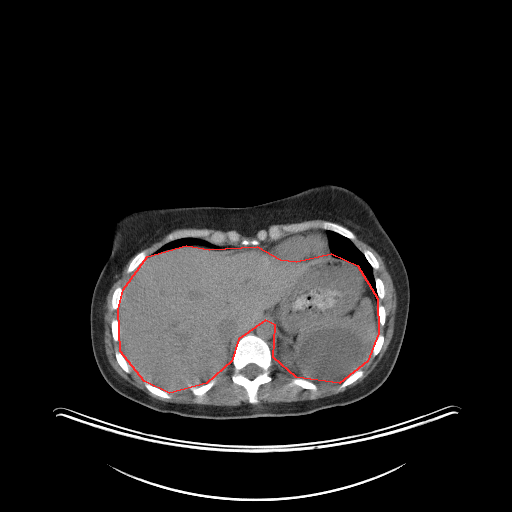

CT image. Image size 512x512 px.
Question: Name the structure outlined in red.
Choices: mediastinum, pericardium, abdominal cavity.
Answer: red: abdominal cavity.
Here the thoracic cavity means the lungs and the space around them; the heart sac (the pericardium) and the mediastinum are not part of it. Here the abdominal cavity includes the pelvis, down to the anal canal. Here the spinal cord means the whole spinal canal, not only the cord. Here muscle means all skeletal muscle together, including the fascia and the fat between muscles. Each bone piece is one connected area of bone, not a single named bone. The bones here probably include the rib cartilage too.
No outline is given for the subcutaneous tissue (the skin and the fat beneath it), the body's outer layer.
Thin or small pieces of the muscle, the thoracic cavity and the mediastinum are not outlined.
{"abdominal_cavity":[[[186,245],[209,249],[257,246],[280,259],[296,261],[331,253],[357,265],[377,298],[378,333],[367,361],[339,383],[296,377],[273,357],[275,325],[265,320],[238,339],[231,361],[206,383],[169,393],[144,381],[120,351],[118,309],[123,289],[147,256]]],"spinal_cord":[[[250,363],[252,363],[253,364],[255,364],[256,365],[257,365],[262,370],[262,371],[259,374],[258,374],[255,377],[254,377],[253,378],[249,378],[248,377],[247,377],[246,376],[245,376],[242,373],[242,369],[245,366],[246,366],[248,364],[249,364]]],"muscle":[[[356,235],[371,246],[383,258],[396,292],[397,305],[394,331],[385,353],[374,369],[361,382],[339,393],[309,400],[262,402],[260,404],[256,404],[259,402],[259,387],[272,380],[270,369],[273,365],[273,358],[286,372],[295,377],[289,381],[289,386],[297,386],[314,393],[318,390],[317,384],[339,384],[337,387],[339,391],[352,384],[364,374],[364,371],[361,368],[368,361],[370,356],[375,357],[380,352],[385,337],[382,333],[378,332],[378,325],[382,327],[385,324],[386,310],[381,303],[378,303],[378,298],[380,300],[384,298],[385,287],[383,281],[374,275],[374,270],[378,270],[380,268],[378,259],[369,249],[365,248],[361,250],[356,245],[354,242]],[[132,257],[126,268],[129,275],[123,288],[117,286],[110,300],[110,308],[117,310],[117,318],[114,317],[110,322],[110,331],[112,339],[119,346],[119,350],[114,351],[118,365],[127,374],[131,371],[143,380],[144,387],[153,395],[170,399],[170,394],[184,392],[202,398],[216,383],[216,377],[231,362],[231,381],[245,389],[249,403],[221,406],[165,402],[131,384],[111,366],[105,352],[103,307],[109,290]],[[287,223],[294,223],[286,224],[283,227],[283,228],[286,231],[292,231],[293,232],[295,232],[290,233],[287,235],[285,235],[282,237],[280,237],[275,240],[273,240],[269,242],[262,242],[260,243],[262,241],[264,241],[266,239],[267,236],[268,236],[271,239],[276,239],[280,236],[280,230],[277,227],[275,226],[272,226],[267,232],[266,231],[261,231],[259,232],[257,234],[257,237],[256,238],[253,238],[250,240],[246,238],[243,238],[240,241],[240,243],[243,245],[238,245],[237,244],[220,244],[224,242],[227,239],[232,243],[236,243],[239,240],[239,234],[237,232],[244,236],[253,236],[259,230],[266,229],[271,225],[274,225],[275,224],[286,224]],[[165,234],[166,234],[163,237],[163,242],[164,243],[165,243],[160,245],[151,253],[150,253],[148,255],[147,254],[147,252],[145,250],[141,250],[142,250],[144,248],[149,246],[152,243],[157,241],[162,236],[163,236]],[[203,228],[206,228],[207,229],[214,229],[215,230],[221,230],[222,231],[234,230],[230,231],[226,235],[222,232],[215,232],[211,235],[210,237],[211,238],[210,240],[208,240],[203,237],[195,236],[205,236],[208,233],[208,231],[205,228]]],"bones":[{"outer":[[249,333],[252,333],[264,340],[269,346],[272,356],[272,365],[269,369],[271,380],[266,383],[261,384],[258,387],[257,390],[258,402],[255,404],[249,402],[246,389],[243,386],[234,383],[231,378],[234,373],[234,366],[232,359],[235,345],[240,338]],"hole":[[250,363],[252,363],[253,364],[255,364],[256,365],[257,365],[262,370],[262,371],[259,374],[258,374],[255,377],[254,377],[253,378],[249,378],[248,377],[247,377],[246,376],[245,376],[242,373],[242,369],[245,366],[246,366],[248,364],[249,364]]},[[303,221],[315,221],[318,224],[324,221],[333,222],[339,224],[352,231],[355,235],[355,238],[352,240],[335,231],[332,231],[322,228],[318,226],[317,224],[315,226],[310,226],[307,229],[300,230],[299,231],[286,230],[284,228],[286,225],[290,225]],[[180,229],[190,229],[191,230],[193,229],[205,229],[207,231],[207,233],[205,235],[195,235],[194,236],[185,236],[184,237],[180,237],[179,238],[171,240],[168,242],[164,242],[164,237],[168,233],[169,233],[171,231],[173,231],[174,230],[179,230]],[[272,227],[275,227],[279,230],[279,236],[278,237],[271,238],[267,235],[265,239],[262,240],[257,245],[251,244],[244,245],[241,243],[241,241],[243,239],[246,239],[250,241],[253,239],[256,239],[258,237],[259,233],[261,232],[267,233]],[[232,231],[234,231],[238,234],[238,240],[236,242],[232,242],[231,241],[230,241],[227,238],[224,241],[223,241],[220,243],[214,243],[213,242],[210,241],[212,238],[211,237],[212,236],[212,235],[215,233],[222,233],[226,236],[230,232],[231,232]],[[293,378],[301,378],[302,379],[304,379],[305,380],[310,381],[316,384],[317,386],[317,390],[314,392],[309,389],[307,389],[306,388],[303,388],[297,385],[289,385],[289,383],[290,381]],[[212,378],[215,378],[216,379],[216,381],[215,382],[215,383],[203,395],[203,396],[202,397],[197,397],[196,396],[195,396],[193,394],[193,393],[191,391],[191,388],[192,387],[198,387],[201,385],[206,384],[208,382],[209,382],[212,379]],[[141,251],[145,251],[146,252],[146,254],[147,255],[145,259],[141,263],[140,263],[137,266],[137,267],[135,268],[135,269],[134,269],[131,272],[128,273],[127,272],[127,268],[128,267],[128,265],[130,261],[136,254],[137,254]],[[358,369],[361,369],[363,371],[363,374],[355,381],[354,381],[352,383],[347,385],[345,387],[344,387],[343,388],[342,388],[340,390],[339,390],[338,389],[338,387],[340,385],[340,384],[346,378],[347,378],[352,373],[353,373],[356,370],[357,370]],[[145,381],[146,382],[149,382],[153,386],[155,386],[156,387],[167,392],[171,396],[171,397],[170,398],[164,398],[163,397],[161,397],[160,396],[158,396],[157,395],[155,395],[154,394],[153,394],[151,392],[150,392],[145,387],[145,385],[144,384]],[[119,286],[120,287],[121,287],[121,288],[122,289],[122,295],[121,296],[121,301],[119,304],[119,306],[118,307],[118,308],[115,310],[113,310],[111,308],[111,300],[112,299],[112,295],[113,294],[113,292],[114,291],[114,290],[117,287],[118,287]],[[365,249],[366,249],[367,250],[369,250],[375,256],[375,257],[377,259],[377,260],[379,263],[379,268],[378,269],[374,269],[372,267],[372,266],[369,263],[369,262],[365,257],[365,256],[364,255],[364,254],[362,252],[362,250],[364,250]],[[116,350],[119,351],[122,354],[122,355],[124,357],[125,360],[127,362],[127,363],[128,364],[128,365],[130,368],[130,372],[129,373],[127,373],[119,365],[119,364],[117,362],[117,360],[116,359],[116,357],[115,356],[115,351]],[[378,334],[382,334],[384,337],[384,339],[383,340],[383,343],[382,344],[382,346],[381,347],[381,348],[380,349],[379,352],[375,356],[373,356],[372,355],[372,350],[373,349],[373,346],[374,345],[374,344],[376,341],[376,339],[378,336]],[[114,318],[115,318],[116,319],[117,319],[117,321],[118,322],[118,323],[119,324],[119,338],[118,339],[118,340],[117,341],[115,341],[113,339],[113,336],[112,335],[112,332],[111,331],[111,322],[112,321],[112,320]],[[378,304],[381,304],[384,307],[384,309],[385,310],[385,322],[384,323],[384,324],[382,326],[380,324],[379,324],[379,323],[378,322],[378,319],[377,318],[377,306],[378,305]],[[376,277],[377,277],[378,278],[379,278],[382,281],[382,282],[383,283],[383,286],[384,287],[384,296],[383,297],[383,298],[382,299],[380,299],[378,297],[378,296],[377,295],[377,291],[376,290],[376,286],[375,285],[375,278]]],"mediastinum":[[[265,321],[270,321],[274,325],[274,343],[273,344],[273,350],[272,351],[271,351],[270,346],[268,344],[268,343],[260,336],[252,332],[249,332],[247,333],[253,327]]],"thoracic_cavity":[[[326,230],[335,232],[353,241],[355,245],[361,251],[364,257],[373,269],[374,285],[377,297],[374,293],[373,288],[366,274],[364,273],[362,269],[357,264],[350,260],[343,259],[341,257],[337,257],[331,252],[331,245],[329,241],[329,238],[326,233]],[[185,237],[198,237],[199,238],[203,238],[214,244],[228,245],[225,248],[209,248],[200,245],[186,244],[185,245],[174,246],[165,250],[162,250],[158,252],[152,253],[160,246],[166,243],[168,243],[171,241],[180,238],[184,238]]],"pericardium":[[[302,231],[315,231],[324,234],[328,238],[328,242],[330,245],[330,252],[326,255],[321,255],[306,260],[283,259],[278,257],[271,252],[267,252],[264,249],[264,248],[269,243],[273,241],[275,241],[290,234],[296,232],[301,232]]],"torso":[[[320,184],[342,186],[362,197],[393,242],[407,271],[410,301],[403,341],[390,374],[376,390],[355,402],[308,414],[209,419],[151,409],[119,394],[106,382],[92,350],[90,305],[95,284],[110,254],[111,232],[118,220],[131,212],[153,208],[253,206]]]}